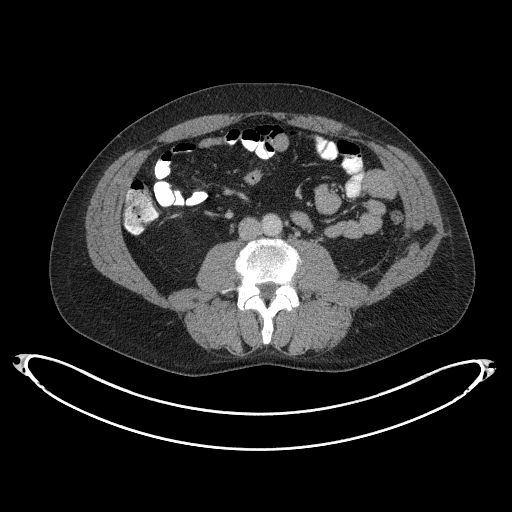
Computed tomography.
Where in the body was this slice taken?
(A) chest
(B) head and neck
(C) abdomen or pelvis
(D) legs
(C) abdomen or pelvis
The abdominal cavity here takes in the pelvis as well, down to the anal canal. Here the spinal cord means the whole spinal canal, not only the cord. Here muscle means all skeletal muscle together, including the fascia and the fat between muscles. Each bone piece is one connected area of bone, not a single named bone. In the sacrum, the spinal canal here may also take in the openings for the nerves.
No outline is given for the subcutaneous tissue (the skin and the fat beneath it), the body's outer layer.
{"spinal_cord":[[[266,301],[268,301],[270,299],[271,299],[274,296],[274,290],[277,287],[277,285],[275,285],[273,283],[265,283],[264,284],[260,284],[259,285],[258,285],[258,286],[261,291],[261,294],[260,295],[261,296],[261,297],[262,298],[263,298]]],"muscle":[[[294,358],[309,358],[332,349],[346,335],[354,311],[387,297],[429,265],[444,228],[432,187],[419,163],[409,153],[342,122],[313,114],[267,110],[212,114],[184,121],[111,163],[98,181],[85,215],[86,245],[94,267],[150,303],[175,311],[204,349],[220,356],[241,357],[261,343],[262,319],[254,310],[237,309],[235,291],[220,291],[239,283],[233,261],[243,243],[214,245],[196,277],[197,288],[183,288],[167,297],[160,294],[135,263],[120,229],[120,207],[141,164],[166,142],[254,115],[270,115],[286,123],[352,137],[376,153],[395,179],[402,197],[406,254],[371,289],[340,278],[322,246],[302,240],[292,242],[303,260],[294,278],[300,305],[276,314],[270,344]]],"torso":[[[186,376],[256,365],[348,371],[443,334],[457,324],[469,305],[475,285],[470,238],[446,179],[399,128],[350,99],[313,86],[232,82],[196,90],[157,107],[126,126],[94,157],[70,191],[54,229],[48,267],[54,303],[65,322],[83,336],[142,363]]],"bones":[{"outer":[[264,344],[268,344],[271,340],[272,319],[275,314],[280,309],[290,311],[299,305],[293,278],[302,260],[297,250],[281,238],[261,237],[243,246],[234,261],[240,283],[221,291],[225,293],[235,290],[239,310],[254,309],[259,313],[263,319],[261,335]],"hole":[[266,301],[268,301],[270,299],[271,299],[274,296],[274,290],[277,287],[277,285],[275,285],[273,283],[265,283],[264,284],[260,284],[259,285],[258,285],[258,286],[261,291],[261,294],[260,295],[261,296],[261,297],[262,298],[263,298]]}],"abdominal_cavity":[[[164,296],[183,287],[197,287],[195,277],[214,244],[241,240],[244,245],[261,236],[318,243],[330,253],[340,277],[373,288],[405,254],[405,213],[394,179],[364,144],[270,116],[248,117],[158,147],[133,178],[120,221],[133,258]]]}